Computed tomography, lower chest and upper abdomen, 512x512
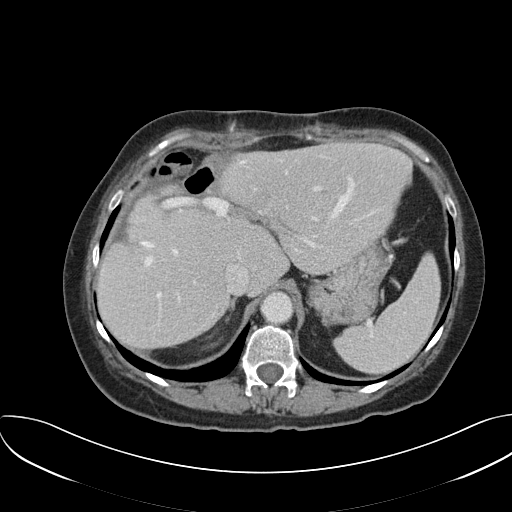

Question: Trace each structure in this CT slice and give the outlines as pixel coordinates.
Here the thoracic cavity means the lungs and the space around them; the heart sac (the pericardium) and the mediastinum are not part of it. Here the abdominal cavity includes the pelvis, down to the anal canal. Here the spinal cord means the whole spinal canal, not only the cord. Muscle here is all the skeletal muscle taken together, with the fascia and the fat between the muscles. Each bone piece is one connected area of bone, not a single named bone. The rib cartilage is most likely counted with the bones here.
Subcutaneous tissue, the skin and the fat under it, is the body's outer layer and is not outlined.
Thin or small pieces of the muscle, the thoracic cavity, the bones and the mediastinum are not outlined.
Answer: The abdominal cavity is outlined by 280 135; 397 145; 432 176; 447 211; 451 287; 423 349; 409 363; 377 379; 323 373; 297 356; 295 302; 281 290; 262 296; 229 349; 207 363; 166 369; 126 349; 100 319; 94 287; 100 253; 120 203; 139 174; 173 145; 236 147. The spinal cord is outlined by 269 363; 271 364; 275 364; 276 365; 278 365; 282 368; 282 374; 279 377; 279 378; 278 378; 273 383; 271 384; 269 384; 265 382; 262 379; 261 379; 259 377; 257 373; 257 369; 260 366; 262 365; 264 365; 265 364; 268 364. The torso is outlined by 351 106; 399 112; 438 137; 478 219; 485 256; 481 304; 465 345; 435 393; 402 411; 372 415; 358 423; 269 433; 178 427; 134 414; 110 401; 88 376; 72 341; 64 311; 62 271; 75 222; 127 139; 150 120; 184 109; 308 113. The muscle is outlined by 312 126; 321 126; 322 127; 325 126; 328 127; 339 126; 346 128; 351 128; 352 127; 360 127; 361 128; 363 127; 377 127; 397 131; 413 140; 427 150; 436 159; 447 174; 451 185; 457 196; 463 220; 463 228; 462 229; 463 230; 463 240; 465 249; 465 276; 463 281; 463 286; 459 295; 458 303; 456 307; 454 319; 451 328; 441 351; 434 361; 421 374; 413 377; 399 386; 397 386; 392 390; 387 392; 381 397; 371 402; 351 409; 337 411; 327 414; 319 414; 304 417; 286 417; 276 415; 269 416; 265 414; 230 414; 217 411; 195 409; 178 404; 171 400; 169 400; 156 393; 150 388; 113 371; 105 364; 103 358; 96 346; 95 338; 87 319; 86 304; 85 303; 84 288; 83 287; 84 283; 83 280; 85 271; 84 267; 86 261; 87 244; 90 236; 92 225; 103 196; 112 182; 115 180; 124 168; 149 145; 166 133; 176 128; 190 127; 213 132; 234 132; 242 130; 297 129, around holes outlined by 181 133; 190 136; 168 148; 185 143; 236 147; 287 135; 378 141; 416 158; 456 210; 459 267; 453 272; 444 327; 435 344; 369 393; 359 392; 359 385; 316 379; 304 369; 296 372; 292 397; 285 386; 270 391; 257 385; 248 396; 238 362; 226 375; 206 381; 166 378; 169 385; 162 386; 147 378; 96 327; 92 251; 111 214; 108 205; 114 193; 122 189; 125 194; 153 158; 148 153 and by 392 136; 397 136; 398 137; 403 138; 408 141; 412 142; 414 144; 422 148; 427 153; 430 158; 430 161; 429 163; 424 163; 423 161; 422 161; 415 154; 410 151; 409 149; 406 148; 403 145; 402 145; 397 141; 394 140; 391 137. The thoracic cavity appears in 4 outlined pieces: piece 1: 248 324; 249 328; 245 339; 244 347; 237 364; 226 375; 206 381; 176 380; 164 378; 151 372; 144 371; 132 364; 122 355; 109 335; 126 350; 128 350; 139 358; 154 364; 160 368; 166 370; 189 370; 212 362; 225 354; piece 2: 299 358; 301 358; 311 366; 312 368; 323 374; 340 379; 354 380; 355 381; 377 380; 391 372; 393 372; 405 364; 409 364; 405 369; 388 379; 386 378; 360 386; 359 385; 342 385; 341 384; 336 384; 316 379; 310 375; 304 369; piece 3: 448 214; 453 221; 454 237; 455 238; 455 245; 452 252; 452 269; 453 270; 452 292; 445 319; 439 325; 430 338; 430 336; 438 324; 447 302; 450 298; 451 288; 452 287; 452 263; 450 259; 450 254; 449 253; 449 223; 448 222; piece 4: 119 205; 119 210; 113 221; 113 223; 111 226; 111 228; 109 230; 108 235; 103 244; 103 246; 102 247; 101 250; 101 249; 100 248; 100 239; 101 238; 102 233; 105 228; 105 226; 108 221; 108 219; 109 218; 111 213. The bones appear in 9 outlined pieces: piece 1: 265 325; 272 325; 287 331; 293 340; 295 354; 303 371; 302 373; 298 370; 296 372; 298 386; 292 397; 288 396; 285 386; 279 386; 270 391; 254 385; 251 388; 250 396; 245 393; 245 373; 239 365; 240 357; 247 337; 253 331 with a hole at 269 363; 271 364; 275 364; 276 365; 278 365; 282 368; 282 374; 279 377; 279 378; 278 378; 273 383; 271 384; 269 384; 265 382; 262 379; 261 379; 259 377; 257 373; 257 369; 260 366; 262 365; 264 365; 265 364; 268 364; piece 2: 392 136; 397 136; 398 137; 403 138; 408 141; 412 142; 414 144; 422 148; 427 153; 430 158; 430 161; 429 163; 424 163; 423 161; 422 161; 415 154; 410 151; 409 149; 406 148; 403 145; 402 145; 397 141; 394 140; 391 137; piece 3: 181 133; 189 133; 190 134; 190 136; 189 137; 186 137; 183 139; 178 140; 170 144; 167 147; 164 148; 153 157; 149 157; 148 156; 148 153; 159 142; 169 137; 171 137; 174 135; 176 135; 177 134; 180 134; piece 4: 119 189; 122 189; 124 191; 124 195; 123 196; 123 197; 122 198; 121 201; 119 203; 119 204; 110 213; 109 213; 108 212; 108 205; 109 204; 109 202; 110 201; 110 199; 111 198; 111 197; 114 194; 114 193; 117 190; 118 190; piece 5: 444 194; 448 194; 451 197; 451 198; 453 200; 453 201; 454 202; 454 204; 455 205; 455 209; 456 210; 456 218; 454 220; 453 220; 452 217; 448 213; 448 211; 447 210; 447 209; 444 204; 444 202; 443 201; 443 197; 444 196; piece 6: 386 379; 388 380; 387 383; 386 383; 383 386; 382 386; 380 388; 373 392; 370 392; 369 393; 364 393; 363 392; 359 392; 358 391; 358 390; 363 386; 369 385; 372 383; 374 383; 378 381; 381 381; 382 380; 385 380; piece 7: 443 323; 444 325; 444 327; 443 328; 443 330; 441 333; 441 335; 440 337; 435 343; 435 344; 427 352; 424 352; 423 350; 426 346; 426 345; 428 343; 429 340; 433 336; 433 335; 435 333; 437 329; 440 326; 440 325; 441 325; piece 8: 97 318; 98 318; 101 321; 101 322; 103 324; 103 326; 105 328; 105 329; 106 330; 106 331; 107 332; 109 337; 111 339; 111 340; 113 343; 109 343; 108 342; 107 342; 100 335; 100 334; 96 327; 96 323; 95 322; 95 320; piece 9: 144 372; 148 372; 149 373; 151 373; 154 375; 156 375; 157 376; 159 376; 160 377; 165 379; 165 380; 169 384; 169 385; 168 386; 162 386; 161 385; 160 385; 155 382; 153 382; 151 380; 150 380; 148 378; 147 378; 146 377. The mediastinum is outlined by 273 291; 281 291; 288 293; 294 302; 295 319; 293 327; 293 339; 292 336; 287 330; 279 326; 276 326; 272 324; 265 324; 262 326; 260 326; 253 330; 248 335; 248 332; 250 328; 250 325; 248 322; 253 310; 256 307; 262 297.